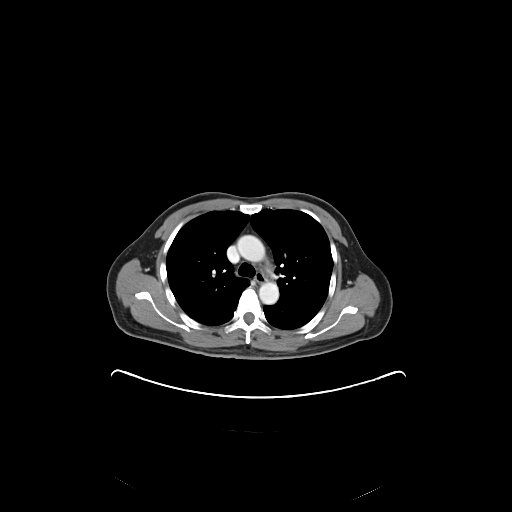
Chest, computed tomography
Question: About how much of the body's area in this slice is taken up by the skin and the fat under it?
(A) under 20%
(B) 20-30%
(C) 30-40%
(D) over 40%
Answer: (B) 20-30%
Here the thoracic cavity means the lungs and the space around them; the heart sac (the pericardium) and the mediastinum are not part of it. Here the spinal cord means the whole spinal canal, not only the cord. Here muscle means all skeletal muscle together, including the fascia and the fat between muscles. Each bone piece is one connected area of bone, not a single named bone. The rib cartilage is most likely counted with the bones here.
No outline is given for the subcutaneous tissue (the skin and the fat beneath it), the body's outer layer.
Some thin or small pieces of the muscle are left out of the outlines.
{"mediastinum":[[[248,214],[251,214],[249,218],[251,227],[267,243],[273,256],[275,265],[274,273],[277,276],[276,284],[279,295],[277,301],[270,305],[261,305],[258,295],[250,285],[249,280],[236,275],[234,267],[227,257],[227,250],[229,246],[236,239],[248,222]]],"thoracic_cavity":[[[230,209],[238,210],[241,213],[248,215],[246,224],[228,246],[226,257],[231,263],[235,275],[248,280],[249,285],[241,292],[231,318],[225,323],[219,325],[209,325],[201,323],[189,316],[178,304],[168,283],[166,256],[176,235],[188,221],[210,211]],[[263,208],[293,209],[305,213],[321,225],[329,241],[333,265],[326,298],[319,310],[307,322],[294,329],[281,329],[270,325],[263,309],[265,305],[270,306],[275,304],[280,295],[273,252],[268,243],[252,227],[250,222],[251,216]]],"spinal_cord":[[[248,312],[249,312],[250,313],[251,313],[253,315],[253,320],[250,323],[247,323],[244,320],[244,315],[246,313],[247,313]]],"muscle":[[[216,198],[229,198],[245,202],[242,202],[237,209],[216,209],[192,218],[189,216],[173,228],[163,244],[162,253],[165,260],[159,264],[159,278],[163,284],[167,282],[168,284],[164,286],[164,293],[169,304],[173,308],[177,305],[180,307],[178,316],[181,322],[164,314],[157,307],[149,291],[140,290],[134,293],[136,299],[148,301],[155,312],[165,321],[187,332],[191,329],[203,330],[203,324],[209,326],[223,324],[223,330],[226,334],[236,329],[242,329],[245,344],[200,347],[184,342],[176,332],[153,328],[136,321],[118,298],[115,282],[121,267],[133,258],[140,261],[142,269],[146,273],[152,274],[155,271],[156,255],[163,242],[154,234],[165,219],[182,207]],[[272,198],[293,198],[310,202],[324,209],[336,220],[342,235],[347,241],[346,246],[339,245],[342,260],[342,285],[352,286],[358,274],[362,272],[373,280],[380,294],[380,301],[374,315],[360,329],[349,334],[309,342],[292,352],[266,350],[249,345],[251,332],[256,329],[266,334],[272,332],[272,327],[281,330],[292,330],[294,334],[302,334],[305,339],[310,339],[334,327],[343,315],[355,314],[358,311],[357,306],[348,304],[341,309],[333,322],[317,331],[312,331],[325,314],[326,309],[323,305],[327,297],[330,299],[336,288],[336,273],[333,266],[338,260],[337,248],[334,241],[329,240],[321,219],[312,210],[305,207],[298,209],[263,207],[261,203],[257,202]]],"bones":[{"outer":[[249,286],[255,291],[259,300],[259,303],[262,307],[266,320],[272,329],[270,333],[266,333],[258,328],[252,330],[249,335],[250,341],[248,344],[246,344],[245,343],[245,331],[242,328],[236,328],[226,333],[224,330],[224,324],[232,318],[242,292]],"hole":[[248,312],[249,312],[250,313],[251,313],[253,315],[253,320],[250,323],[247,323],[244,320],[244,315],[246,313],[247,313]]},[[348,305],[357,307],[357,311],[355,313],[343,314],[339,321],[334,326],[318,335],[310,338],[305,338],[302,333],[294,333],[292,331],[307,323],[322,307],[324,307],[325,309],[324,314],[311,330],[313,333],[317,332],[333,323],[338,317],[342,309]],[[140,291],[149,292],[156,307],[168,318],[177,323],[181,323],[182,321],[179,316],[179,312],[182,310],[189,317],[202,324],[203,329],[191,328],[189,331],[187,331],[183,328],[176,326],[165,320],[156,312],[151,303],[148,300],[136,298],[135,293]],[[189,217],[191,218],[189,220],[188,220],[179,229],[179,230],[175,235],[167,251],[167,253],[166,255],[164,255],[163,253],[163,248],[164,247],[164,244],[167,240],[167,239],[169,237],[170,234],[172,232],[174,228],[181,221]],[[242,203],[259,203],[260,204],[261,204],[261,205],[262,206],[262,208],[258,212],[256,212],[255,213],[253,213],[252,214],[251,213],[248,213],[247,214],[246,213],[243,213],[242,212],[241,212],[238,209],[238,208],[239,207],[239,206]],[[166,285],[168,285],[169,286],[169,287],[170,288],[170,289],[171,290],[171,291],[172,292],[172,293],[173,294],[173,295],[177,302],[177,304],[175,307],[173,307],[170,304],[170,303],[168,301],[168,300],[166,297],[166,294],[165,293],[165,286]],[[333,271],[335,273],[335,288],[334,289],[334,291],[333,292],[333,294],[332,295],[332,296],[330,298],[329,298],[327,296],[328,295],[328,290],[329,289],[329,284],[330,283],[330,278],[331,277],[331,274],[332,273],[332,272]],[[162,261],[165,261],[165,267],[166,268],[166,273],[167,274],[167,281],[166,282],[166,283],[163,283],[162,282],[162,281],[161,280],[161,279],[160,278],[160,273],[159,272],[159,269],[160,268],[160,264],[161,263],[161,262]],[[330,241],[333,241],[333,242],[334,243],[334,244],[335,245],[335,247],[336,248],[336,251],[337,252],[337,260],[336,261],[336,263],[334,263],[333,262],[333,259],[332,258],[332,255],[331,254],[331,248],[330,247]],[[300,208],[305,208],[306,209],[308,209],[309,210],[312,211],[320,219],[320,220],[321,221],[321,224],[319,222],[318,222],[312,216],[311,216],[309,214],[308,214],[305,212],[303,212],[302,211],[299,210],[299,209]]],"torso":[[[204,191],[221,191],[241,196],[300,191],[318,196],[333,205],[348,221],[364,252],[383,271],[389,281],[393,307],[384,330],[373,338],[318,355],[253,360],[193,353],[133,337],[119,329],[114,322],[106,296],[106,276],[111,263],[166,208],[183,198]]]}